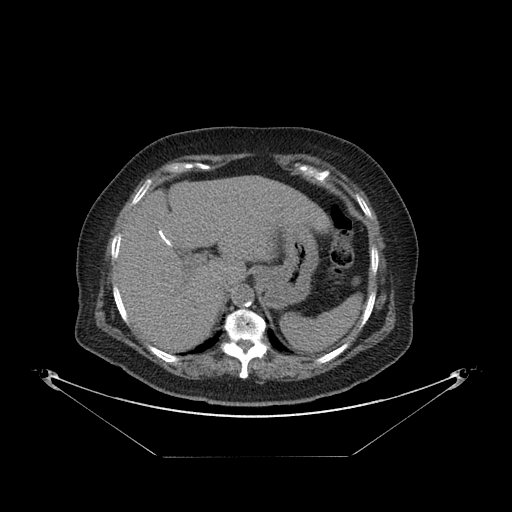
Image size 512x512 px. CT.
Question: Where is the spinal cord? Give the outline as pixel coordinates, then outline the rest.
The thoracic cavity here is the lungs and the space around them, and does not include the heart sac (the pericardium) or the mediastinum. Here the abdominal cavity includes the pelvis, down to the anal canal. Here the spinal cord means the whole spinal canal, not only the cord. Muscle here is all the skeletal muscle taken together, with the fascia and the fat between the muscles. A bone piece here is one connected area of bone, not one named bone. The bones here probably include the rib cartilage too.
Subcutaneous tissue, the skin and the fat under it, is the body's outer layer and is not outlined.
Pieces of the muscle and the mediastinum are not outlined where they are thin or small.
Answer: {"spinal_cord":[[[239,340],[249,340],[252,343],[252,345],[246,351],[245,351],[244,350],[243,350],[243,349],[241,347],[240,347],[238,345],[238,344],[237,343],[237,342]]],"mediastinum":[[[240,282],[249,282],[251,283],[257,295],[257,297],[260,302],[263,311],[266,315],[270,328],[267,328],[266,320],[260,314],[251,309],[245,307],[241,307],[233,310],[225,316],[222,325],[223,330],[222,329],[219,330],[226,311],[229,297],[235,286]],[[330,182],[334,182],[337,184],[339,184],[343,187],[344,187],[346,189],[347,189],[350,192],[350,193],[354,198],[360,210],[354,205],[353,205],[353,204],[346,196],[343,190],[341,188],[336,186],[334,184]]],"muscle":[[[245,151],[305,153],[330,163],[364,191],[384,239],[395,304],[393,329],[372,347],[306,379],[260,384],[247,378],[249,362],[254,358],[261,359],[272,347],[294,356],[315,358],[314,362],[318,364],[334,359],[349,347],[350,342],[346,340],[358,327],[361,329],[365,325],[377,296],[377,292],[369,288],[370,273],[375,276],[378,271],[379,251],[375,245],[370,246],[364,216],[371,219],[372,212],[359,193],[353,196],[341,184],[326,180],[331,173],[327,168],[319,169],[297,161],[293,165],[300,172],[293,172],[274,160],[256,157],[234,159],[212,169],[201,161],[172,162],[164,167],[164,171],[181,174],[158,183],[147,194],[153,179],[146,178],[130,202],[131,206],[137,205],[123,231],[115,233],[111,239],[110,258],[115,261],[116,280],[111,287],[112,297],[121,319],[128,326],[131,324],[148,342],[146,348],[163,361],[176,363],[182,356],[212,348],[225,333],[226,338],[219,348],[240,362],[238,377],[188,379],[175,375],[110,336],[95,323],[95,302],[110,231],[141,179],[161,163],[182,155]]],"thoracic_cavity":[[[222,330],[225,332],[224,332],[220,336],[218,342],[212,347],[199,353],[186,354],[185,355],[182,355],[181,356],[179,356],[178,355],[178,354],[186,353],[193,350],[196,347],[199,346],[200,344],[202,344],[214,336],[217,332],[221,331]],[[267,329],[270,329],[271,331],[273,332],[273,334],[275,336],[275,337],[277,338],[277,339],[285,347],[285,349],[287,350],[287,353],[283,351],[279,351],[275,349],[271,345],[266,335],[266,331]]],"bones":[{"outer":[[241,308],[251,310],[260,315],[265,320],[265,335],[271,346],[271,350],[268,350],[261,358],[254,357],[248,362],[248,375],[246,378],[239,377],[242,366],[241,362],[236,357],[226,354],[220,348],[220,344],[227,338],[226,332],[223,328],[226,316]],"hole":[[239,340],[249,340],[252,343],[252,345],[246,351],[245,351],[244,350],[243,350],[243,349],[241,347],[240,347],[238,345],[238,344],[237,343],[237,342]]},[[176,162],[201,162],[202,163],[208,164],[211,167],[211,168],[208,170],[202,170],[198,168],[193,168],[190,171],[188,171],[187,172],[183,172],[182,173],[173,173],[172,172],[168,172],[167,171],[165,171],[165,167],[169,164],[175,163]],[[297,162],[313,166],[317,168],[319,170],[324,170],[325,169],[327,169],[330,172],[330,173],[329,175],[325,179],[323,179],[322,178],[316,178],[313,176],[310,176],[307,174],[302,173],[299,170],[298,170],[294,165]],[[114,284],[117,286],[119,290],[119,293],[120,294],[120,296],[121,297],[123,305],[125,308],[125,310],[127,314],[127,317],[129,321],[129,324],[128,325],[122,319],[118,311],[118,309],[116,306],[116,304],[113,297],[113,293],[112,292],[112,287]],[[373,290],[374,290],[376,292],[376,296],[375,297],[375,300],[374,301],[374,304],[373,305],[372,311],[364,325],[361,328],[359,328],[359,325],[360,324],[360,322],[362,318],[362,314],[365,309],[366,303],[368,299],[368,296],[370,292]],[[346,342],[349,342],[349,345],[348,347],[346,348],[340,354],[339,354],[334,358],[326,362],[324,362],[323,363],[318,363],[317,362],[315,362],[315,359],[316,358],[318,357],[320,357],[324,354],[326,354],[334,350],[336,348],[339,347],[342,344]],[[148,343],[164,352],[166,352],[172,355],[175,355],[176,356],[178,356],[180,357],[180,358],[176,362],[167,362],[163,360],[161,358],[158,357],[153,353],[152,353],[147,348],[146,346],[146,345]],[[148,178],[150,178],[152,179],[152,183],[149,189],[145,193],[145,194],[141,198],[141,199],[140,199],[139,201],[136,204],[134,205],[131,205],[131,202],[135,194],[140,188],[140,187],[143,184],[143,183],[146,180],[146,179]],[[373,245],[374,246],[375,246],[377,248],[377,250],[378,251],[378,265],[377,266],[377,271],[376,272],[376,274],[375,275],[373,275],[371,273],[371,271],[370,270],[370,248],[371,247],[371,246],[372,246]],[[117,233],[121,233],[121,239],[120,240],[120,244],[119,245],[119,251],[118,252],[118,255],[117,256],[117,258],[115,260],[112,260],[112,259],[111,258],[111,242],[112,241],[112,239],[113,238],[113,237],[114,236],[114,235],[115,234],[116,234]],[[356,193],[359,194],[363,198],[363,199],[365,201],[366,204],[368,206],[368,207],[371,212],[371,214],[372,215],[372,217],[371,218],[369,218],[368,217],[367,217],[362,211],[361,208],[359,206],[358,203],[356,201],[356,200],[354,197],[354,195]]],"abdominal_cavity":[[[242,158],[274,161],[290,172],[331,183],[367,223],[369,293],[359,324],[343,343],[320,356],[288,353],[272,331],[249,281],[234,286],[218,331],[189,351],[177,355],[164,351],[130,323],[117,285],[116,260],[122,233],[138,204],[174,176],[212,170]]],"torso":[[[227,125],[303,126],[337,135],[369,153],[400,194],[413,222],[418,243],[413,337],[405,353],[371,379],[345,392],[298,404],[253,407],[208,404],[157,391],[84,349],[75,340],[78,310],[76,249],[82,224],[96,198],[125,163],[150,142],[178,131]]]}